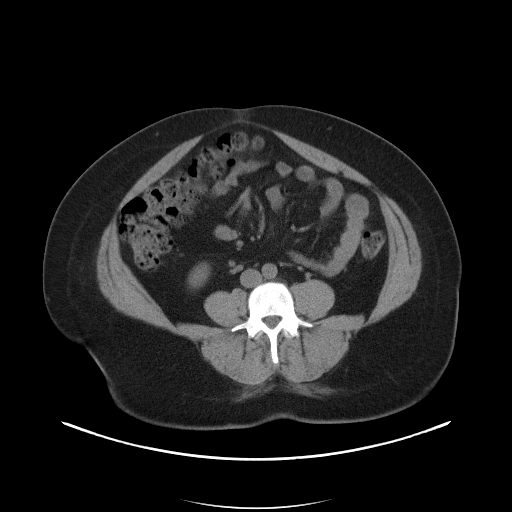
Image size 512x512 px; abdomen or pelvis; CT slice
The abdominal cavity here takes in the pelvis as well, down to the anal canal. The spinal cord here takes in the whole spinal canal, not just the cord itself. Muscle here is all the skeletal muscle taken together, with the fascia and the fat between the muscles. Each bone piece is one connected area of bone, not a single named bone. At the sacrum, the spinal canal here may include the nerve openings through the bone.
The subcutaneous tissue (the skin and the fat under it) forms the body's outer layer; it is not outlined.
The abdominal cavity is outlined by (235, 124) (268, 131) (316, 166) (375, 194) (388, 257) (367, 317) (326, 316) (335, 292) (325, 281) (311, 278) (295, 281) (289, 289) (268, 280) (248, 295) (238, 286) (216, 290) (204, 299) (203, 309) (219, 326) (174, 323) (122, 259) (117, 232) (122, 205) (204, 137). The bones are outlined by (268, 281) (285, 284) (292, 295) (295, 313) (313, 325) (299, 326) (297, 337) (287, 338) (282, 333) (278, 335) (278, 364) (272, 361) (269, 339) (264, 333) (258, 338) (248, 338) (244, 328) (231, 331) (232, 327) (245, 321) (249, 315) (247, 305) (249, 293) (257, 285); inner edge: (268, 316) (278, 316) (279, 317) (280, 317) (280, 319) (279, 320) (279, 321) (276, 324) (276, 325) (274, 327) (272, 327) (271, 328) (270, 327) (269, 327) (264, 322) (264, 321) (263, 320) (263, 319) (265, 317) (267, 317). The torso is outlined by (262, 104) (298, 105) (353, 121) (400, 148) (431, 180) (452, 221) (462, 261) (449, 364) (419, 402) (373, 420) (314, 424) (277, 419) (221, 430) (140, 421) (114, 405) (93, 359) (50, 319) (42, 291) (42, 261) (51, 219) (66, 191) (94, 160) (146, 125) (199, 107). The spinal cord is outlined by (268, 316) (278, 316) (279, 317) (280, 317) (280, 319) (279, 320) (279, 321) (276, 324) (276, 325) (274, 327) (272, 327) (271, 328) (270, 327) (269, 327) (264, 322) (264, 321) (263, 320) (263, 319) (265, 317) (267, 317). The muscle is outlined by (234, 120) (247, 120) (274, 128) (336, 157) (357, 170) (394, 200) (402, 209) (412, 224) (421, 250) (422, 268) (416, 289) (412, 295) (379, 321) (360, 329) (349, 341) (349, 349) (339, 362) (331, 370) (312, 381) (290, 382) (280, 374) (275, 374) (262, 383) (250, 386) (234, 381) (215, 370) (204, 360) (200, 351) (191, 340) (123, 314) (115, 309) (99, 289) (96, 275) (96, 256) (100, 239) (115, 209) (127, 191) (151, 166) (180, 143) with a hole at (235, 124) (268, 131) (370, 188) (387, 231) (385, 277) (367, 317) (326, 316) (336, 296) (321, 279) (291, 284) (295, 313) (313, 325) (278, 335) (278, 364) (264, 333) (231, 331) (249, 315) (241, 287) (204, 299) (219, 326) (174, 323) (120, 253) (122, 205) (204, 137).